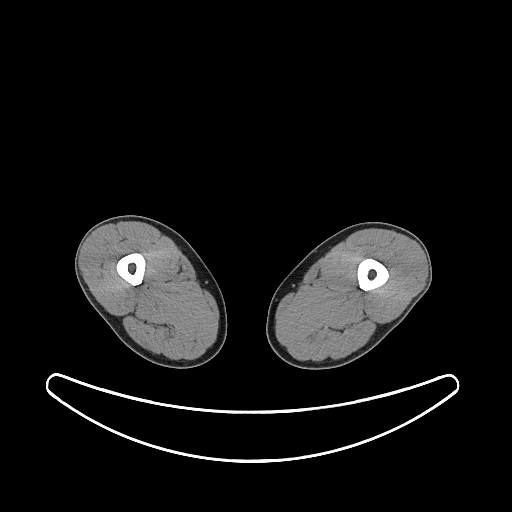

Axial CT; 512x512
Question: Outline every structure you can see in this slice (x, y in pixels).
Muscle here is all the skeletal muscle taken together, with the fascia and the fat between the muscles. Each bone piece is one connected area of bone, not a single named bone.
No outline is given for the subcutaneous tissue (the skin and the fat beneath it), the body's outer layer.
Answer: The bones appear in 2 outlined pieces: piece 1: 365 258; 373 258; 381 262; 386 267; 389 274; 388 279; 385 283; 384 283; 379 287; 377 287; 374 289; 368 290; 367 291; 363 290; 359 287; 359 285; 358 284; 358 280; 357 279; 357 267; 358 266; 358 264; 363 259; piece 2: 133 252; 138 252; 139 253; 141 253; 143 255; 145 259; 145 271; 144 272; 144 275; 143 276; 143 278; 142 279; 141 283; 137 285; 132 285; 128 282; 127 282; 118 274; 116 270; 116 264; 118 260; 121 257; 127 254; 132 253. The muscle appears in 2 outlined pieces: piece 1: 365 228; 383 228; 393 230; 416 241; 423 250; 427 262; 428 273; 425 285; 396 318; 381 325; 363 346; 345 357; 331 361; 304 362; 290 356; 278 345; 274 332; 274 318; 280 300; 289 292; 295 282; 314 261; 339 240; 357 230 with a hole at 365 258; 373 258; 381 262; 386 267; 389 274; 388 279; 385 283; 384 283; 379 287; 377 287; 374 289; 368 290; 367 291; 363 290; 359 287; 359 285; 358 284; 358 280; 357 279; 357 267; 358 266; 358 264; 363 259; piece 2: 131 220; 150 224; 171 238; 194 260; 198 270; 212 292; 219 311; 217 336; 212 346; 205 353; 195 359; 172 360; 162 355; 152 353; 140 346; 128 335; 118 319; 106 311; 97 301; 81 274; 79 267; 79 254; 87 237; 102 225, around a hole outlined by 133 252; 138 252; 139 253; 141 253; 143 255; 145 259; 145 271; 144 272; 144 275; 143 276; 143 278; 142 279; 141 283; 137 285; 132 285; 128 282; 127 282; 118 274; 116 270; 116 264; 118 260; 121 257; 127 254; 132 253. The right leg is outlined by 128 214; 152 218; 175 230; 192 246; 215 278; 225 302; 227 314; 227 334; 221 349; 209 361; 191 368; 171 368; 161 366; 144 359; 127 347; 118 338; 85 297; 76 278; 74 269; 74 257; 80 240; 84 234; 98 222; 114 216. The left leg is outlined by 369 221; 386 222; 400 226; 415 234; 424 243; 429 253; 432 268; 432 279; 429 288; 405 318; 377 345; 359 358; 345 365; 329 369; 303 369; 288 364; 272 350; 266 337; 265 328; 268 307; 276 288; 289 272; 322 241; 352 224.